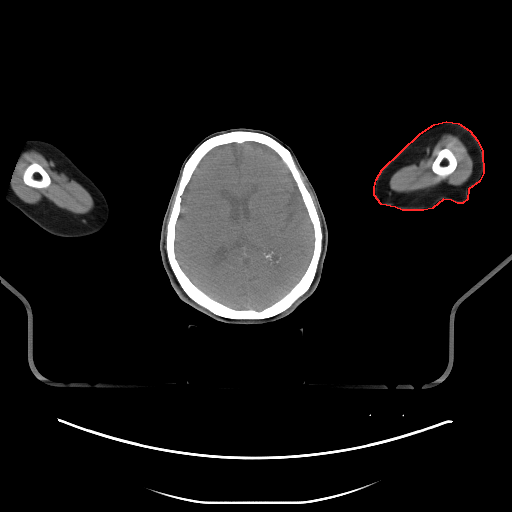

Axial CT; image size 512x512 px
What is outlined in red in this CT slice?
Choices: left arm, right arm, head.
red: left arm.
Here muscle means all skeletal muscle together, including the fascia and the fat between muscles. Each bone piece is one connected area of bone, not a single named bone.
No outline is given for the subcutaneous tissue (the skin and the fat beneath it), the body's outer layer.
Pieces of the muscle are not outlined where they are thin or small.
{"left_arm":[[[446,121],[458,123],[469,130],[477,140],[482,151],[483,173],[479,181],[468,189],[467,199],[462,203],[457,203],[451,200],[443,199],[432,208],[423,210],[402,210],[395,207],[381,204],[374,195],[374,187],[376,179],[382,169],[420,133],[434,124]]],"muscle":[{"outer":[[32,149],[42,154],[48,160],[52,160],[70,179],[73,179],[78,182],[89,192],[94,201],[94,207],[91,211],[85,214],[74,214],[56,206],[45,198],[36,204],[29,204],[20,199],[15,194],[12,188],[12,184],[18,165],[23,154],[26,151]],"hole":[[33,162],[36,162],[38,163],[46,171],[46,172],[48,174],[51,181],[50,182],[50,184],[47,187],[45,187],[44,188],[36,188],[35,187],[32,187],[29,185],[27,185],[24,182],[23,180],[23,174],[24,173],[24,171],[25,169],[31,163]]},{"outer":[[445,133],[450,133],[458,136],[466,146],[473,160],[473,169],[470,177],[463,184],[459,186],[453,186],[443,181],[433,187],[409,193],[397,193],[391,191],[389,188],[389,180],[393,173],[403,166],[413,163],[415,164],[424,154],[426,148],[434,144]],"hole":[[443,148],[447,148],[449,149],[453,153],[457,161],[457,164],[456,165],[456,167],[455,169],[450,174],[444,177],[442,177],[436,174],[432,170],[432,164],[434,160],[436,158],[438,152]]},[[299,169],[305,178],[306,181],[308,183],[316,200],[316,202],[318,206],[318,210],[321,218],[321,225],[321,221],[320,220],[319,214],[317,211],[317,208],[314,203],[313,198],[310,192],[308,190],[303,181],[303,179],[301,176],[301,173]]],"brain":[[[245,142],[254,142],[264,145],[279,156],[295,182],[313,230],[312,253],[304,272],[298,281],[283,296],[261,309],[238,309],[214,299],[190,279],[181,267],[175,252],[176,225],[181,211],[182,195],[197,166],[212,149],[222,145],[232,143],[241,144]]],"right_arm":[[[30,139],[43,140],[49,142],[59,148],[99,188],[104,195],[109,208],[109,216],[107,222],[99,231],[89,235],[81,236],[80,237],[61,237],[57,236],[44,230],[36,223],[28,218],[20,210],[10,204],[7,201],[6,196],[16,163],[26,142]]],"bones":[{"outer":[[231,131],[253,131],[263,133],[273,138],[289,150],[302,181],[312,198],[322,230],[321,253],[314,278],[307,291],[284,311],[262,319],[232,319],[223,317],[195,302],[187,295],[178,282],[170,266],[166,252],[166,226],[186,161],[202,142],[213,136]],"hole":[[245,142],[254,142],[264,145],[279,156],[295,182],[313,230],[312,253],[304,272],[298,281],[283,296],[261,309],[238,309],[214,299],[190,279],[181,267],[175,252],[176,225],[181,211],[182,195],[197,166],[212,149],[222,145],[232,143],[241,144]]},[[33,162],[36,162],[38,163],[46,171],[46,172],[48,174],[51,181],[50,182],[50,184],[47,187],[45,187],[44,188],[36,188],[35,187],[32,187],[29,185],[27,185],[24,182],[23,180],[23,174],[24,173],[24,171],[25,169],[31,163]],[[443,148],[447,148],[449,149],[453,153],[457,161],[457,164],[456,165],[456,167],[455,169],[450,174],[444,177],[442,177],[436,174],[432,170],[432,164],[434,160],[436,158],[438,152]]],"head":[[[236,127],[255,128],[270,132],[293,150],[317,194],[325,216],[328,231],[327,251],[323,269],[319,283],[314,292],[289,315],[262,324],[232,324],[221,322],[182,301],[170,283],[162,263],[159,249],[162,220],[182,162],[192,149],[207,135],[216,131]]]}